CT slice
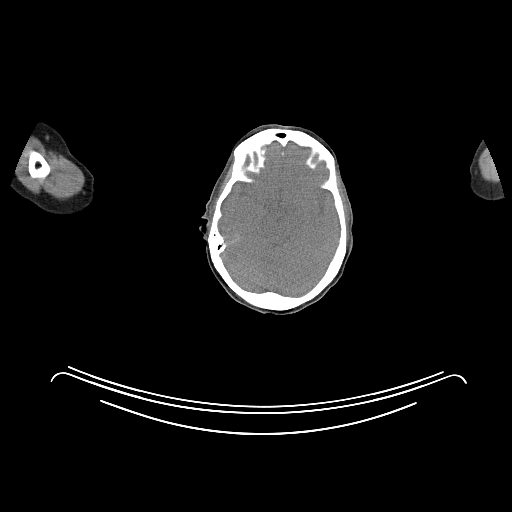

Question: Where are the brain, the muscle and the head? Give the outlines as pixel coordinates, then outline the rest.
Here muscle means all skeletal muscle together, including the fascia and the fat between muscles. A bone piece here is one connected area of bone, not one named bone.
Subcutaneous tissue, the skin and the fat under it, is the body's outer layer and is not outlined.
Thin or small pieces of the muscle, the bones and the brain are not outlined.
Answer: {"brain":[[[273,142],[309,148],[304,163],[310,169],[324,163],[327,177],[319,187],[331,194],[338,219],[337,244],[323,274],[299,295],[246,289],[232,277],[221,256],[227,246],[219,229],[222,204],[234,184],[255,181],[248,173],[261,172],[266,146]]],"muscle":[{"outer":[[30,137],[32,138],[36,137],[42,141],[45,141],[52,149],[58,153],[62,154],[66,158],[74,163],[82,171],[85,178],[85,184],[83,187],[83,191],[82,192],[68,199],[58,200],[46,193],[34,194],[28,190],[19,181],[15,169],[22,151]],"hole":[[31,150],[35,150],[39,153],[40,153],[43,156],[43,157],[45,159],[45,160],[47,162],[47,163],[50,167],[50,171],[49,172],[49,173],[44,178],[33,178],[30,175],[30,174],[29,173],[29,171],[28,170],[28,162],[29,161],[29,152]]},[[485,150],[489,155],[489,157],[491,160],[491,163],[492,164],[493,171],[495,175],[497,177],[497,179],[495,182],[489,182],[488,181],[486,181],[484,180],[481,177],[479,173],[479,169],[478,168],[478,159],[481,153]],[[231,162],[230,168],[229,169],[230,170],[229,178],[224,184],[222,190],[216,199],[212,217],[210,221],[210,224],[209,218],[208,217],[209,216],[210,205],[213,201],[213,199],[217,192],[219,185],[222,181],[226,172],[228,170],[228,168]],[[337,170],[338,177],[342,186],[342,189],[346,199],[346,203],[348,207],[348,212],[349,213],[349,220],[348,221],[348,241],[347,242],[347,246],[347,223],[346,222],[346,217],[345,216],[344,204],[343,203],[342,197],[340,194],[339,188],[338,187]]],"head":[[[271,123],[308,128],[321,136],[331,146],[337,156],[353,212],[353,247],[340,279],[317,302],[300,311],[285,315],[260,313],[232,299],[219,284],[208,266],[205,241],[198,229],[205,222],[201,216],[204,213],[206,202],[234,144],[249,130],[262,124]]],"left_arm":[[[482,139],[487,147],[489,155],[491,157],[493,165],[497,173],[497,176],[501,184],[503,192],[503,198],[499,200],[485,200],[482,199],[475,195],[472,192],[469,186],[469,179],[470,178],[469,166],[472,160],[474,152],[479,142]]],"right_arm":[[[39,121],[46,122],[59,132],[66,142],[71,153],[86,166],[94,177],[93,200],[89,205],[79,213],[71,215],[54,215],[48,213],[20,196],[10,186],[16,166],[18,163],[18,160],[22,153],[22,151],[24,149],[24,147],[26,145],[30,135]]],"bones":[{"outer":[[268,128],[292,129],[305,132],[318,140],[330,151],[335,159],[337,187],[343,204],[346,223],[346,251],[334,278],[313,298],[295,307],[282,310],[259,307],[237,295],[214,267],[207,242],[217,199],[231,175],[230,169],[233,161],[232,151],[246,138]],"hole":[[273,142],[309,148],[304,163],[310,169],[324,163],[327,177],[319,187],[331,194],[338,219],[337,244],[323,274],[299,295],[246,289],[232,277],[221,256],[227,246],[219,229],[222,204],[234,184],[255,181],[248,173],[261,172],[266,146]]},[[31,150],[35,150],[39,153],[40,153],[43,156],[43,157],[45,159],[45,160],[47,162],[47,163],[50,167],[50,171],[49,172],[49,173],[44,178],[33,178],[30,175],[30,174],[29,173],[29,171],[28,170],[28,162],[29,161],[29,152]]]}